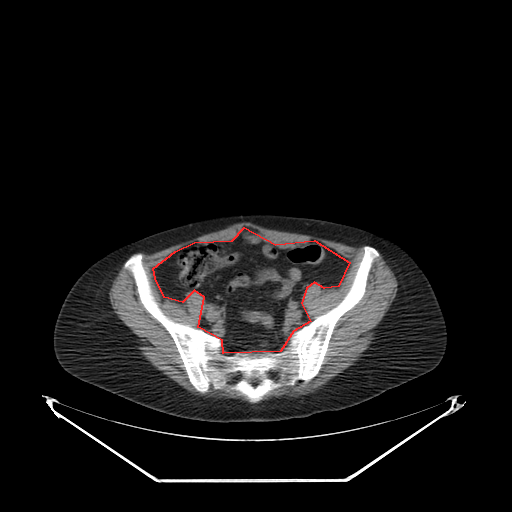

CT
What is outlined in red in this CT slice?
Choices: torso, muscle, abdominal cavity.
red: abdominal cavity.
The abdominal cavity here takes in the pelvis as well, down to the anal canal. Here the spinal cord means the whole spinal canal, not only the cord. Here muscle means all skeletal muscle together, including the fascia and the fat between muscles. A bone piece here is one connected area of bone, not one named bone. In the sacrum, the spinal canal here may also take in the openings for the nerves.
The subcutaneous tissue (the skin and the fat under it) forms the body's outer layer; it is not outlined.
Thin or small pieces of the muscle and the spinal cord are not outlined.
Outlines:
abdominal cavity: (244, 227) (275, 244) (314, 240) (349, 262) (338, 286) (324, 288) (314, 282) (306, 288) (301, 303) (310, 321) (293, 331) (280, 351) (223, 353) (222, 340) (198, 327) (204, 297) (194, 290) (182, 302) (164, 297) (155, 278) (153, 268) (175, 251) (194, 242) (232, 240)
torso: (262, 208) (355, 226) (384, 235) (401, 246) (428, 278) (446, 322) (446, 350) (434, 369) (351, 407) (278, 421) (220, 423) (176, 417) (147, 408) (84, 382) (61, 367) (53, 350) (54, 324) (69, 289) (91, 264) (123, 244) (191, 220) (203, 213) (218, 210) (244, 213)
spinal cord: (236, 372) (239, 372) (240, 373) (241, 373) (241, 374) (242, 375) (242, 377) (241, 378) (241, 379) (240, 379) (238, 381) (238, 382) (237, 382) (234, 384) (231, 384) (230, 383) (229, 383) (229, 382) (228, 381) (228, 377) (229, 376) (229, 375) (232, 373) (235, 373)
muscle 1: (239, 222) (312, 235) (354, 247) (363, 246) (362, 256) (347, 292) (335, 306) (310, 320) (302, 303) (304, 292) (314, 283) (324, 289) (338, 287) (350, 266) (349, 260) (335, 249) (314, 239) (301, 243) (275, 243) (265, 239) (256, 229) (244, 226) (236, 237) (229, 240) (189, 243) (170, 253) (152, 268) (164, 298) (182, 303) (186, 293) (194, 291) (205, 301) (197, 327) (173, 320) (164, 313) (155, 299) (143, 265) (143, 255) (139, 252) (150, 254)
muscle 2: (380, 253) (396, 277) (398, 283) (397, 292) (385, 315) (375, 328) (374, 339) (363, 352) (363, 355) (354, 364) (313, 392) (296, 397) (281, 396) (261, 400) (272, 390) (284, 386) (293, 386) (297, 381) (307, 383) (319, 373) (338, 321) (364, 296) (370, 270)
muscle 3: (123, 264) (133, 278) (140, 303) (173, 340) (187, 378) (195, 390) (205, 393) (211, 385) (215, 390) (221, 390) (228, 386) (231, 390) (240, 392) (248, 401) (239, 398) (194, 395) (155, 368) (141, 355) (136, 348) (134, 340) (136, 337) (113, 312) (108, 295) (112, 282)
bones: (366, 245) (379, 256) (371, 265) (363, 296) (337, 321) (318, 373) (307, 382) (297, 380) (272, 389) (254, 403) (228, 385) (196, 390) (174, 340) (143, 306) (134, 278) (124, 267) (131, 255) (140, 253) (163, 313) (219, 338) (223, 354) (280, 352) (293, 332) (343, 299), around holes outlined by (236, 372) (239, 372) (240, 373) (241, 373) (241, 374) (242, 375) (242, 377) (241, 378) (241, 379) (240, 379) (238, 381) (238, 382) (237, 382) (234, 384) (228, 384) (228, 383) (229, 382) (228, 381) (228, 377) (229, 376) (229, 375) (232, 373) (235, 373) and by (250, 378) (257, 378) (258, 379) (259, 379) (260, 380) (260, 382) (257, 385) (256, 385) (255, 386) (253, 386) (250, 383) (249, 383) (248, 382) (248, 379) (249, 379) and by (272, 369) (274, 369) (275, 370) (276, 370) (276, 371) (277, 372) (277, 375) (276, 376) (276, 377) (275, 377) (274, 378) (271, 378) (270, 377) (269, 377) (269, 376) (268, 375) (268, 373) (269, 372) (269, 371) (270, 370) (271, 370)